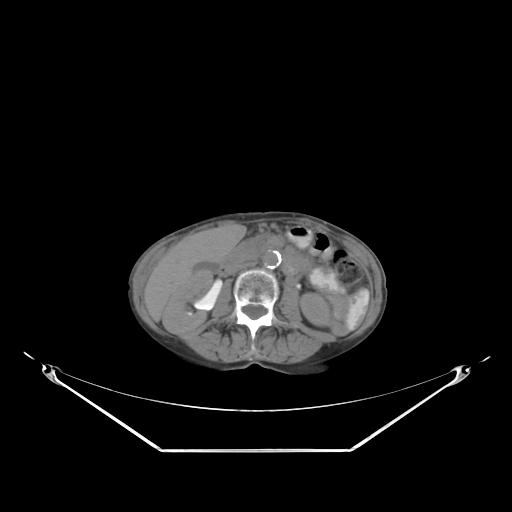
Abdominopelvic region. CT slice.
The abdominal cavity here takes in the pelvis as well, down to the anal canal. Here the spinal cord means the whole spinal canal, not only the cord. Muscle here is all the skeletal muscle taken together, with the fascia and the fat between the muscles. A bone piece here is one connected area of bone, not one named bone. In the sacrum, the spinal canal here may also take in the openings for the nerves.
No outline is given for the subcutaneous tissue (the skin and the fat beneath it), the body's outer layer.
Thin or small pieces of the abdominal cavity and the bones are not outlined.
Outlines (x, y in pixels):
spinal cord: (247, 305) (260, 305) (261, 306) (262, 306) (266, 310) (266, 312) (264, 314) (263, 314) (262, 315) (261, 315) (259, 317) (258, 317) (257, 318) (255, 318) (254, 319) (253, 319) (252, 318) (251, 318) (249, 316) (248, 316) (243, 311) (243, 308) (245, 306) (246, 306)
bones: (252, 268) (263, 268) (275, 275) (279, 283) (280, 291) (279, 296) (273, 305) (273, 312) (275, 316) (283, 322) (282, 324) (278, 325) (259, 327) (253, 340) (251, 339) (249, 329) (243, 324) (237, 324) (234, 316) (229, 316) (235, 307) (233, 295) (234, 282) (242, 271), around a hole outlined by (247, 305) (260, 305) (261, 306) (262, 306) (266, 310) (266, 312) (264, 314) (263, 314) (262, 315) (261, 315) (259, 317) (258, 317) (257, 318) (255, 318) (254, 319) (253, 319) (252, 318) (251, 318) (249, 316) (248, 316) (243, 311) (243, 308) (245, 306) (246, 306)
muscle: (279, 217) (308, 218) (313, 221) (322, 224) (328, 228) (354, 238) (361, 243) (372, 254) (380, 270) (381, 274) (382, 301) (380, 306) (380, 310) (377, 317) (374, 322) (363, 333) (355, 338) (346, 341) (334, 342) (329, 345) (325, 345) (312, 356) (303, 361) (296, 363) (288, 363) (287, 364) (286, 363) (275, 363) (261, 359) (245, 359) (235, 362) (221, 362) (220, 361) (208, 360) (198, 355) (182, 342) (176, 341) (173, 338) (163, 336) (157, 333) (139, 316) (133, 302) (133, 297) (132, 296) (132, 277) (136, 266) (139, 261) (156, 244) (170, 237) (184, 233) (188, 230) (194, 229) (208, 223) (216, 222) (221, 220) (235, 220) (242, 222) (243, 221) (249, 221) (257, 219) (267, 219) (268, 218) (278, 218), around a hole outlined by (269, 221) (327, 232) (361, 267) (369, 308) (354, 333) (340, 337) (306, 325) (299, 294) (284, 281) (273, 305) (283, 323) (259, 327) (252, 340) (249, 329) (229, 316) (235, 307) (230, 277) (208, 319) (195, 330) (174, 334) (152, 319) (144, 283) (174, 246) (210, 226)
torso: (268, 210) (307, 212) (367, 242) (381, 260) (387, 277) (388, 301) (381, 322) (367, 339) (341, 357) (336, 367) (313, 375) (290, 375) (256, 364) (243, 369) (209, 371) (180, 363) (148, 338) (132, 318) (126, 301) (126, 278) (132, 263) (156, 238) (188, 223) (222, 213)
abdominal cavity: (269, 221) (305, 224) (327, 232) (361, 267) (369, 308) (354, 333) (340, 337) (306, 325) (298, 292) (284, 281) (280, 289) (276, 275) (263, 267) (242, 270) (234, 281) (227, 278) (208, 319) (189, 333) (171, 333) (152, 319) (144, 304) (144, 283) (174, 246) (210, 226)